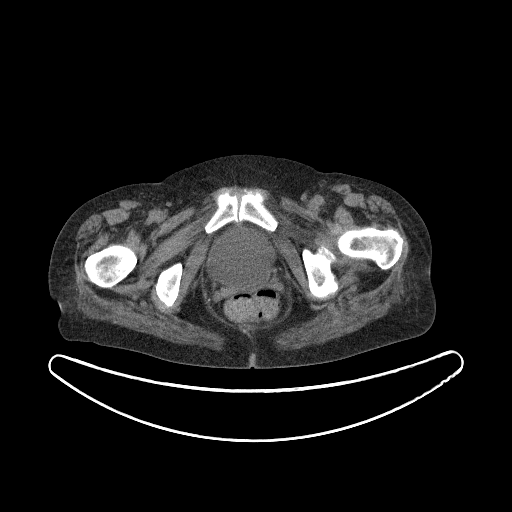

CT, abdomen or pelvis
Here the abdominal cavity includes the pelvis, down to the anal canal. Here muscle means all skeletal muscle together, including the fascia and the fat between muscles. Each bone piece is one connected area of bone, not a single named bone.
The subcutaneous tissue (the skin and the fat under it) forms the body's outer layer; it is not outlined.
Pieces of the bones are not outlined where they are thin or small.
{"torso":[[[244,153],[288,158],[321,171],[363,177],[402,195],[423,219],[431,239],[436,299],[431,327],[420,336],[344,359],[269,369],[185,365],[64,339],[58,331],[60,310],[49,295],[47,273],[55,239],[68,217],[87,200],[111,189],[157,182],[193,164]]],"muscle":[{"outer":[[345,183],[386,199],[401,220],[409,244],[402,270],[403,300],[391,312],[353,332],[321,344],[277,349],[273,338],[276,334],[308,320],[313,314],[294,288],[289,315],[269,329],[257,330],[250,338],[212,317],[197,285],[184,315],[187,320],[225,337],[219,350],[174,343],[103,320],[87,319],[75,308],[75,237],[89,215],[111,200],[134,196],[172,210],[206,191],[236,185],[279,191],[298,203],[328,187]],"holes":[[[245,188],[259,190],[264,196],[264,205],[278,222],[269,236],[287,279],[288,301],[283,313],[262,324],[232,323],[219,315],[210,303],[204,280],[206,255],[214,237],[212,233],[206,233],[204,226],[217,208],[216,196],[224,189],[239,196]],[[367,226],[372,226],[378,229],[394,228],[399,232],[402,237],[403,239],[403,244],[402,245],[401,254],[398,260],[390,268],[383,270],[370,259],[367,259],[366,258],[352,258],[341,253],[338,249],[336,243],[337,238],[343,232],[349,229],[357,229]],[[112,244],[122,244],[130,248],[135,253],[137,257],[137,262],[133,270],[122,280],[110,288],[102,288],[101,287],[99,287],[88,280],[87,275],[84,269],[84,262],[85,261],[85,259],[90,254],[92,254],[94,252],[99,251],[103,248]],[[322,245],[324,245],[328,248],[336,257],[336,261],[331,264],[331,269],[337,282],[337,291],[333,294],[330,294],[325,298],[318,298],[314,296],[310,292],[308,286],[307,274],[305,270],[301,252],[303,248],[308,248],[311,251],[315,252],[316,250]],[[176,262],[180,262],[182,265],[182,273],[181,274],[181,278],[180,279],[179,292],[173,304],[171,306],[169,307],[167,307],[159,299],[156,293],[156,290],[155,289],[155,284],[156,283],[157,278],[160,272],[163,269],[170,266],[172,264]]]}],"bones":[[[367,226],[372,226],[378,229],[394,228],[399,232],[402,237],[403,239],[403,244],[402,245],[401,254],[398,260],[390,268],[383,270],[370,259],[367,259],[366,258],[352,258],[341,253],[338,249],[336,243],[337,238],[343,232],[349,229],[357,229]],[[245,188],[259,190],[264,196],[264,205],[278,222],[278,225],[275,230],[270,232],[256,223],[244,219],[230,221],[212,233],[206,233],[204,226],[217,208],[216,196],[224,189],[230,189],[230,192],[232,194],[236,194],[239,196],[244,192],[243,190]],[[112,244],[122,244],[130,248],[135,253],[137,257],[137,262],[133,270],[122,280],[110,288],[102,288],[101,287],[99,287],[88,280],[87,275],[84,269],[84,262],[85,261],[85,259],[90,254],[92,254],[94,252],[99,251],[103,248]],[[322,245],[324,245],[328,248],[336,257],[336,261],[331,264],[331,269],[337,282],[337,291],[333,294],[330,294],[325,298],[318,298],[314,296],[310,292],[308,286],[307,274],[305,270],[301,252],[303,248],[308,248],[311,251],[315,252],[316,250]],[[176,262],[180,262],[182,265],[182,273],[181,274],[181,278],[180,279],[179,292],[173,304],[171,306],[169,307],[167,307],[159,299],[156,293],[156,290],[155,289],[155,284],[156,283],[157,278],[160,272],[163,269],[170,266],[172,264]]],"abdominal_cavity":[[[244,220],[252,222],[270,233],[269,236],[286,272],[285,276],[287,279],[288,288],[287,305],[279,317],[262,324],[232,323],[227,321],[217,313],[210,303],[205,286],[204,269],[207,260],[206,255],[210,248],[210,243],[214,237],[213,233],[230,222]]]}